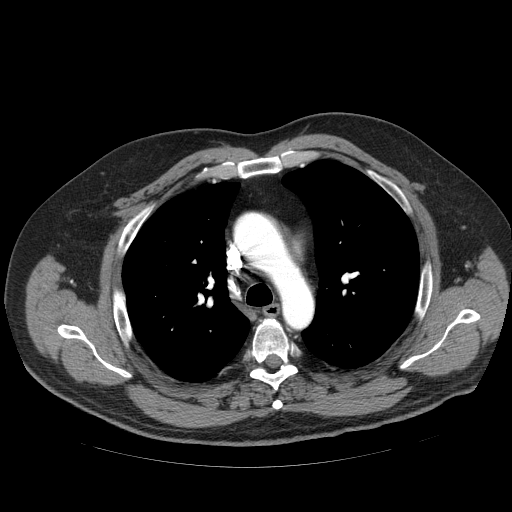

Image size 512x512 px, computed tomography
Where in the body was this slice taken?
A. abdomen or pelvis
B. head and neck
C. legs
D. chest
Answer: D. chest
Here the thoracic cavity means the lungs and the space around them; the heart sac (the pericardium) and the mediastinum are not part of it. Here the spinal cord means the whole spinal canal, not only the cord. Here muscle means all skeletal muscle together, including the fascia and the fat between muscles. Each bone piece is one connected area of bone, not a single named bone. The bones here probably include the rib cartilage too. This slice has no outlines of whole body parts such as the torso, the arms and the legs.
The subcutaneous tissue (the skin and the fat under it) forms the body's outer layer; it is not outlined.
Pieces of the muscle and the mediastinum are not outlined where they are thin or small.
The spinal cord is outlined by 272 354; 273 354; 274 355; 276 355; 278 357; 279 357; 281 360; 281 364; 278 367; 278 368; 277 368; 274 370; 271 370; 270 369; 269 369; 264 364; 264 362; 265 361; 265 360; 266 359; 266 358; 269 355; 271 355. The bones appear in 9 outlined pieces: piece 1: 265 318; 273 318; 278 321; 283 328; 287 337; 290 340; 294 341; 303 352; 303 357; 296 363; 298 367; 298 371; 282 381; 275 392; 269 384; 261 380; 250 377; 248 375; 248 372; 243 369; 240 362; 242 354; 250 346; 255 328; inner edge: 272 354; 273 354; 274 355; 276 355; 278 357; 279 357; 281 360; 281 364; 278 367; 278 368; 277 368; 274 370; 271 370; 270 369; 269 369; 264 364; 264 362; 265 361; 265 360; 266 359; 266 358; 269 355; 271 355; piece 2: 288 149; 315 150; 322 154; 320 157; 301 167; 295 165; 286 167; 276 173; 264 173; 246 178; 232 177; 220 179; 216 182; 212 182; 209 179; 194 182; 194 177; 204 167; 215 166; 224 161; 233 161; 236 163; 260 156; 278 155; piece 3: 115 287; 117 288; 122 288; 124 292; 125 295; 126 311; 127 312; 128 319; 134 337; 134 338; 131 340; 129 344; 130 345; 128 348; 124 345; 118 333; 115 324; 115 321; 113 317; 112 293; piece 4: 427 258; 430 260; 432 265; 433 284; 432 285; 432 291; 431 292; 431 296; 430 297; 428 306; 426 309; 423 318; 421 321; 419 322; 414 316; 414 309; 416 305; 416 301; 418 296; 419 284; 420 283; 420 272; 421 271; 421 267; piece 5: 150 202; 155 202; 156 204; 155 207; 153 209; 150 215; 144 221; 139 228; 136 235; 129 245; 123 257; 120 256; 117 253; 117 247; 118 246; 118 242; 121 236; 123 228; 128 221; 134 215; 135 215; 141 209; 142 209; piece 6: 60 324; 74 325; 80 328; 86 337; 94 345; 97 353; 102 359; 116 367; 122 368; 126 370; 131 373; 132 376; 130 378; 126 378; 107 368; 95 357; 89 346; 81 339; 78 339; 77 338; 65 338; 61 336; 57 331; 57 327; piece 7: 465 308; 469 308; 476 311; 480 316; 479 319; 469 323; 464 322; 457 323; 449 330; 446 337; 439 347; 429 354; 415 360; 406 368; 404 369; 399 368; 399 365; 407 358; 424 353; 430 349; 442 337; 447 326; 455 319; 459 312; piece 8: 366 168; 370 168; 379 174; 390 179; 401 189; 405 195; 406 198; 408 200; 409 204; 412 209; 412 214; 410 216; 407 215; 405 213; 402 208; 387 192; 386 192; 376 182; 375 182; 370 177; 369 177; 363 172; 363 171; piece 9: 276 398; 277 398; 278 399; 279 399; 282 402; 282 403; 283 404; 282 405; 282 406; 279 409; 278 409; 277 410; 276 409; 275 409; 274 408; 273 408; 272 407; 272 403; 273 402; 273 401. The mediastinum is outlined by 295 166; 299 167; 282 176; 281 184; 296 194; 310 212; 318 273; 315 311; 311 323; 301 331; 302 343; 290 339; 280 322; 273 317; 263 318; 250 335; 250 321; 230 297; 225 245; 225 227; 241 186; 238 181; 226 180; 276 174. The thoracic cavity appears in 2 outlined pieces: piece 1: 321 157; 347 164; 376 183; 409 217; 418 243; 419 283; 409 323; 382 355; 354 369; 344 369; 304 357; 298 344; 303 343; 302 331; 312 323; 316 311; 319 273; 315 259; 315 225; 311 212; 296 193; 282 184; 282 178; 286 173; piece 2: 206 180; 212 183; 225 180; 240 184; 224 227; 225 267; 229 297; 249 321; 249 335; 252 335; 249 346; 238 361; 231 363; 211 381; 190 383; 174 379; 161 371; 150 361; 136 340; 127 311; 122 265; 130 245; 151 214; 176 194. The muscle is outlined by 310 133; 327 133; 345 138; 405 176; 427 186; 463 244; 473 248; 489 245; 498 256; 509 283; 503 328; 467 367; 426 380; 391 407; 375 412; 324 417; 311 412; 278 410; 267 416; 248 417; 227 425; 193 428; 160 422; 121 395; 72 380; 40 354; 26 325; 25 288; 32 269; 41 258; 79 245; 96 230; 107 208; 116 199; 145 186; 195 151; 227 144; 245 147; 261 155; 284 139, around holes outlined by 288 149; 315 150; 361 172; 370 168; 401 189; 412 209; 409 218; 420 266; 427 258; 432 265; 432 291; 423 318; 419 322; 413 315; 391 346; 361 367; 344 369; 303 357; 296 363; 298 371; 275 392; 250 377; 239 360; 207 382; 170 377; 150 361; 135 338; 127 348; 115 324; 112 293; 123 287; 124 258; 117 253; 123 228; 150 202; 156 204; 154 211; 198 184; 194 177; 204 167 and by 60 324; 74 325; 80 328; 86 337; 94 345; 97 353; 102 359; 116 367; 122 368; 126 370; 131 373; 132 376; 130 378; 126 378; 107 368; 95 357; 89 346; 81 339; 78 339; 77 338; 65 338; 61 336; 57 331; 57 327 and by 465 308; 469 308; 476 311; 480 316; 479 319; 469 323; 464 322; 457 323; 449 330; 446 337; 439 347; 429 354; 415 360; 406 368; 404 369; 399 368; 399 365; 407 358; 424 353; 430 349; 442 337; 447 326; 455 319; 459 312 and by 276 398; 277 398; 278 399; 279 399; 282 402; 282 403; 283 404; 282 405; 282 406; 279 409; 278 409; 277 410; 276 409; 275 409; 274 408; 273 408; 272 407; 272 403; 273 402; 273 401.